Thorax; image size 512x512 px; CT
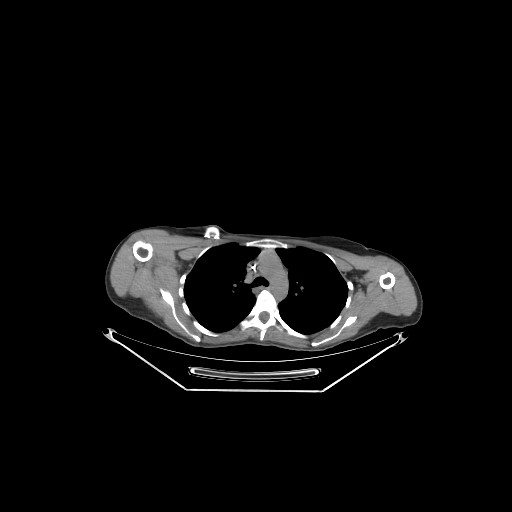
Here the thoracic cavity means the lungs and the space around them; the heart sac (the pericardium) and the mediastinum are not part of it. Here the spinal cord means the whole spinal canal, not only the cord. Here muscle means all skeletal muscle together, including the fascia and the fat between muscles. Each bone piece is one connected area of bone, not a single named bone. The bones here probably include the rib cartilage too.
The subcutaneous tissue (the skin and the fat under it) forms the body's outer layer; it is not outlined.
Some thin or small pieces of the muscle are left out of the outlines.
The mediastinum is outlined by 259 248; 275 249; 276 253; 288 270; 288 281; 289 282; 288 286; 289 287; 287 295; 285 298; 279 302; 276 300; 274 295; 267 289; 262 289; 256 295; 252 291; 252 287; 247 276; 248 271; 247 270; 247 265; 259 253; 260 251. The thoracic cavity appears in 2 outlined pieces: piece 1: 230 242; 235 242; 246 247; 255 247; 259 250; 255 257; 246 265; 246 276; 250 284; 251 291; 255 296; 255 300; 250 310; 238 324; 228 330; 216 332; 202 325; 192 314; 184 297; 184 285; 187 275; 191 271; 196 260; 210 248; piece 2: 298 246; 306 247; 323 253; 335 265; 345 281; 348 290; 345 303; 341 311; 334 320; 328 327; 311 334; 302 333; 292 328; 281 317; 278 307; 278 303; 285 299; 288 295; 290 282; 289 270; 277 253; 276 249; 277 248; 287 249. The left arm is outlined by 370 247; 388 252; 397 257; 408 267; 415 277; 421 290; 421 293; 423 298; 423 310; 422 311; 422 315; 419 321; 416 324; 410 326; 406 326; 402 328; 395 328; 393 327; 386 329; 375 318; 371 310; 370 302; 368 297; 368 252. The spinal cord is outlined by 261 312; 266 312; 268 314; 268 318; 267 319; 267 320; 266 321; 262 321; 260 319; 260 318; 259 317; 259 315; 260 314; 260 313. The muscle appears in 2 outlined pieces: piece 1: 148 229; 195 237; 254 238; 243 244; 230 241; 205 246; 196 255; 190 271; 180 276; 178 295; 184 299; 181 302; 183 312; 194 317; 192 325; 202 334; 217 337; 220 332; 238 325; 242 331; 250 327; 258 329; 259 340; 201 342; 201 337; 190 331; 179 318; 172 294; 162 287; 159 288; 161 298; 169 306; 176 323; 193 340; 171 329; 142 304; 118 296; 110 283; 115 257; 131 235, around a hole outlined by 137 240; 142 240; 143 241; 148 242; 152 245; 153 247; 153 252; 152 253; 152 256; 150 258; 150 259; 146 261; 139 261; 137 260; 134 257; 133 255; 133 252; 132 251; 132 246; 134 242; 135 242; piece 2: 278 239; 304 240; 358 255; 382 255; 394 260; 402 266; 414 288; 416 309; 409 316; 381 313; 354 335; 331 344; 320 345; 336 338; 353 324; 357 319; 355 314; 347 316; 336 332; 312 340; 308 347; 265 341; 266 331; 272 326; 300 339; 307 339; 308 335; 326 328; 333 329; 343 317; 342 310; 350 306; 352 297; 348 291; 354 289; 353 283; 344 279; 330 253; 302 245; 292 247, around a hole outlined by 388 271; 389 272; 391 272; 394 275; 394 276; 395 277; 395 282; 394 283; 394 284; 392 286; 392 287; 390 289; 384 289; 382 287; 381 287; 379 284; 379 276; 381 274; 383 274; 384 273; 385 273. The bones appear in 14 outlined pieces: piece 1: 262 290; 267 290; 273 295; 277 302; 280 317; 292 329; 307 335; 307 338; 290 335; 284 329; 279 329; 274 325; 266 329; 263 340; 259 339; 260 330; 258 328; 250 326; 244 330; 241 329; 239 323; 251 310; 255 303; 256 296; inner edge: 261 312; 266 312; 268 314; 268 318; 267 319; 267 320; 266 321; 262 321; 260 319; 260 318; 259 317; 259 315; 260 314; 260 313; piece 2: 137 240; 142 240; 143 241; 148 242; 152 245; 153 247; 153 252; 152 253; 152 256; 150 258; 150 259; 146 261; 139 261; 137 260; 134 257; 133 255; 133 252; 132 251; 132 246; 134 242; 135 242; piece 3: 160 288; 167 290; 171 294; 173 298; 175 311; 178 318; 185 325; 190 332; 194 334; 196 334; 200 337; 200 341; 198 342; 195 341; 194 339; 192 338; 177 323; 172 314; 172 311; 170 306; 162 298; 162 296; 160 292; piece 4: 260 238; 274 238; 275 239; 279 240; 281 242; 288 244; 290 246; 290 247; 288 247; 287 248; 283 248; 282 247; 269 248; 268 247; 246 246; 244 245; 244 243; 245 242; 247 242; 248 241; 252 241; 253 240; 259 239; piece 5: 352 315; 355 315; 356 316; 356 319; 355 321; 350 325; 345 327; 336 337; 326 342; 324 342; 317 346; 312 346; 311 345; 311 342; 312 341; 319 341; 324 338; 326 338; 329 336; 331 336; 336 333; 343 324; 347 317; 351 316; piece 6: 388 271; 389 272; 391 272; 394 275; 394 276; 395 277; 395 282; 394 283; 394 284; 392 286; 392 287; 390 289; 384 289; 382 287; 381 287; 379 284; 379 276; 381 274; 383 274; 384 273; 385 273; piece 7: 194 319; 195 319; 202 326; 203 326; 208 330; 210 330; 212 332; 215 332; 216 333; 218 333; 218 335; 217 336; 210 336; 209 335; 207 335; 206 334; 204 334; 203 333; 202 333; 200 331; 199 331; 193 325; 193 323; 192 322; piece 8: 184 273; 186 273; 187 274; 186 275; 186 277; 185 278; 185 280; 184 281; 184 284; 183 285; 183 297; 184 298; 182 298; 181 297; 180 297; 180 296; 179 295; 179 287; 180 286; 180 278; 181 277; 181 276; piece 9: 340 313; 341 313; 342 314; 342 317; 340 319; 340 320; 338 322; 338 323; 333 328; 329 328; 329 326; 335 320; 335 319; 339 315; 339 314; piece 10: 184 300; 185 301; 185 302; 186 303; 186 304; 187 305; 187 306; 188 307; 188 308; 189 309; 189 310; 190 311; 190 312; 191 313; 191 315; 187 315; 184 312; 184 311; 183 310; 183 308; 182 307; 182 302; piece 11: 207 246; 210 246; 210 247; 204 253; 203 253; 197 259; 196 258; 196 257; 197 256; 197 255; 205 247; 206 247; piece 12: 348 295; 350 295; 350 296; 351 297; 351 299; 350 300; 350 302; 349 303; 349 306; 347 308; 346 308; 345 309; 344 308; 343 308; 344 307; 344 306; 345 305; 345 304; 346 303; 346 300; 347 299; 347 296; piece 13: 347 280; 349 280; 352 283; 352 284; 353 285; 353 289; 352 290; 349 290; 348 289; 348 286; 347 285; 347 283; 346 282; 346 281; piece 14: 325 253; 328 253; 329 254; 330 254; 334 258; 334 259; 335 260; 335 261; 336 262; 336 264; 335 264; 325 254. The torso is outlined by 210 223; 231 232; 295 236; 335 235; 369 247; 367 297; 374 318; 385 329; 379 329; 360 339; 341 345; 337 349; 322 352; 291 351; 253 344; 207 349; 187 345; 151 323; 130 316; 120 307; 136 296; 159 272; 172 244; 174 226. The right arm is outlined by 153 225; 169 225; 174 227; 173 237; 169 249; 165 256; 165 259; 158 272; 153 278; 129 301; 118 307; 110 301; 105 291; 105 287; 104 286; 104 274; 105 273; 105 269; 108 260; 118 242; 129 232; 134 229; 140 227; 152 226.